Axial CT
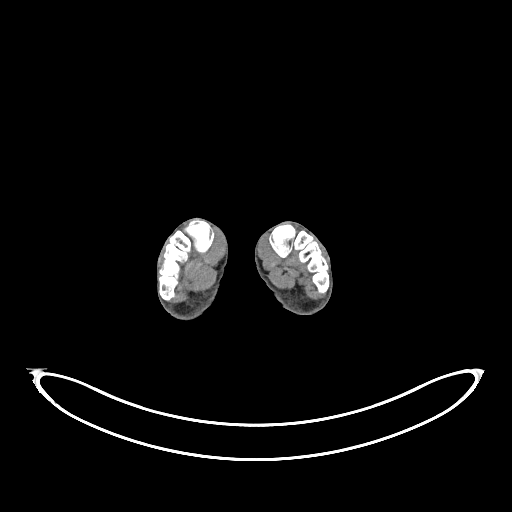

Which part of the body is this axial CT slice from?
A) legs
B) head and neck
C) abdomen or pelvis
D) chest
A) legs
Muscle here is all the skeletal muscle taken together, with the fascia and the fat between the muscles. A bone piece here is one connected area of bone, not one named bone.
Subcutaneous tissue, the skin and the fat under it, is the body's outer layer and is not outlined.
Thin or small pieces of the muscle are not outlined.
{"left_leg":[[[283,220],[294,220],[309,228],[323,243],[331,258],[331,266],[333,271],[333,280],[334,281],[333,291],[327,304],[320,311],[313,315],[296,316],[281,307],[271,292],[266,287],[264,282],[260,278],[255,266],[253,251],[256,240],[260,234],[267,228]]],"right_leg":[[[195,216],[199,216],[210,220],[217,224],[223,230],[228,242],[228,260],[224,270],[218,293],[211,306],[207,309],[203,315],[197,319],[191,321],[182,321],[172,317],[165,311],[158,301],[156,293],[156,260],[164,240],[172,230],[180,222]]],"muscle":[[[211,226],[221,234],[225,248],[221,259],[214,268],[216,270],[215,281],[211,287],[205,291],[191,293],[188,302],[171,303],[169,301],[176,295],[175,288],[178,284],[181,270],[179,263],[188,259],[188,253],[192,248],[201,254],[210,248],[215,234]],[[268,233],[270,246],[281,258],[285,258],[293,249],[298,251],[298,259],[302,263],[307,262],[306,268],[312,273],[311,280],[317,291],[325,294],[323,297],[310,299],[302,296],[303,292],[299,289],[281,289],[271,282],[268,271],[257,253],[259,242]]],"bones":[[[195,218],[203,219],[210,224],[214,234],[213,240],[209,248],[203,253],[192,247],[187,253],[187,259],[178,263],[180,270],[177,284],[174,288],[175,295],[167,301],[158,292],[158,270],[164,259],[164,245],[170,235],[176,230],[182,229],[190,220]],[[284,222],[293,225],[298,231],[305,230],[317,240],[321,254],[328,265],[329,287],[325,293],[318,291],[312,280],[313,273],[307,268],[308,262],[302,262],[299,259],[297,249],[293,248],[285,257],[281,257],[271,246],[269,242],[271,231],[277,224]]]}